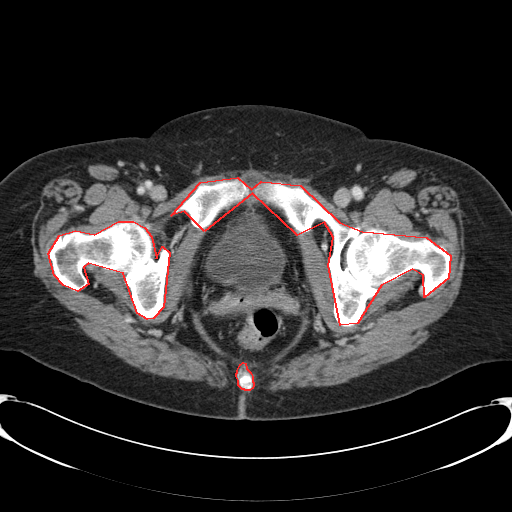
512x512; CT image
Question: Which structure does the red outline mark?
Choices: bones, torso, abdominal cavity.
Answer: red: bones.
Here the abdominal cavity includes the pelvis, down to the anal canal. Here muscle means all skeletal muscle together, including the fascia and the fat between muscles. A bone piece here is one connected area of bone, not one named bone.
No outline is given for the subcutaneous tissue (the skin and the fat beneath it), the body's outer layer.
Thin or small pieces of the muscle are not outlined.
The bones appear in 3 outlined pieces: piece 1: 237 177; 251 189; 261 181; 300 185; 339 222; 362 231; 426 237; 450 255; 448 278; 424 297; 423 275; 412 269; 381 285; 357 323; 340 325; 328 265; 333 237; 324 222; 297 235; 252 193; 204 231; 184 211; 171 215; 200 182; piece 2: 118 221; 133 221; 144 227; 151 236; 156 258; 162 246; 169 252; 163 307; 153 318; 147 319; 137 313; 123 273; 88 263; 83 267; 88 284; 77 291; 63 285; 54 275; 48 253; 59 235; 75 230; 94 234; piece 3: 243 362; 245 363; 246 368; 250 372; 252 376; 252 381; 253 382; 253 386; 252 388; 249 390; 245 390; 244 389; 242 389; 238 385; 238 380; 236 376; 236 373; 237 372; 237 370; 240 364. The torso is outlined by 238 104; 266 104; 325 116; 353 125; 371 138; 441 152; 480 171; 511 209; 511 361; 476 365; 433 386; 360 409; 252 421; 188 415; 146 405; 48 368; 21 352; 0 350; 0 180; 26 159; 46 150; 118 137; 147 137; 178 116. The muscle appears in 2 outlined pieces: piece 1: 100 163; 117 168; 131 196; 141 204; 151 206; 165 202; 200 177; 252 168; 303 179; 344 211; 360 206; 370 199; 383 177; 392 170; 404 167; 428 170; 453 188; 459 199; 465 253; 459 293; 429 337; 417 348; 340 384; 296 387; 274 392; 262 388; 248 393; 231 385; 219 389; 203 382; 175 379; 142 371; 126 363; 80 330; 37 281; 32 268; 31 234; 35 210; 43 187; 70 169, around holes outlined by 237 177; 251 189; 300 185; 362 231; 426 237; 450 255; 448 278; 424 297; 412 269; 381 285; 357 323; 340 325; 332 233; 320 220; 300 235; 290 225; 306 283; 300 327; 271 356; 236 356; 196 308; 211 226; 171 213; 200 182 and by 118 221; 133 221; 144 227; 151 236; 156 258; 162 246; 169 252; 163 307; 153 318; 147 319; 137 313; 123 273; 88 263; 83 267; 88 284; 77 291; 63 285; 54 275; 48 253; 59 235; 75 230; 94 234 and by 185 314; 187 316; 191 324; 191 326; 193 328; 197 336; 203 344; 205 345; 214 354; 213 355; 213 357; 207 354; 205 352; 195 347; 193 347; 188 343; 186 343; 185 341; 183 341; 179 338; 179 333; 182 327; 182 324; 184 320 and by 243 362; 245 363; 246 368; 250 372; 252 376; 252 381; 253 382; 253 386; 252 388; 249 390; 245 390; 244 389; 242 389; 238 385; 238 380; 236 376; 236 373; 237 372; 237 370; 240 364 and by 308 327; 308 328; 310 331; 310 333; 313 338; 313 340; 315 343; 311 346; 310 346; 304 351; 301 352; 299 354; 298 354; 287 360; 285 360; 295 350; 295 349; 297 347; 298 344; 300 342; 300 341; 302 339; 303 336; 305 334; piece 2: 252 194; 256 199; 260 201; 262 201; 266 204; 270 205; 277 209; 283 216; 285 219; 285 221; 281 215; 275 209; 271 208; 260 202; 248 202; 247 203; 243 203; 232 208; 230 208; 232 206; 236 204; 239 204; 244 200; 247 199. The abdominal cavity is outlined by 248 203; 260 203; 275 210; 289 226; 298 247; 303 265; 306 283; 306 305; 303 319; 296 335; 275 354; 252 360; 244 358; 241 355; 239 356; 234 355; 213 339; 198 316; 194 293; 195 270; 197 260; 202 243; 212 224; 225 211.